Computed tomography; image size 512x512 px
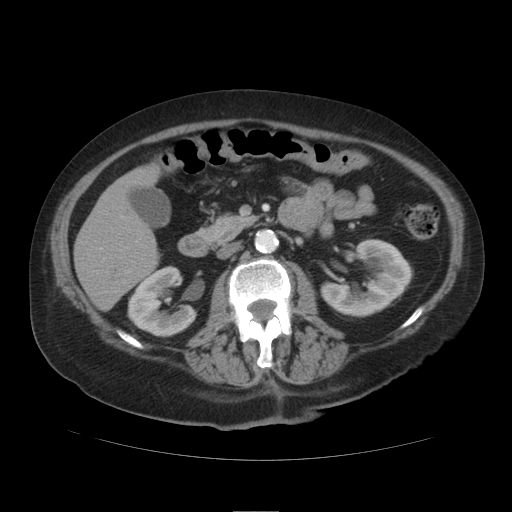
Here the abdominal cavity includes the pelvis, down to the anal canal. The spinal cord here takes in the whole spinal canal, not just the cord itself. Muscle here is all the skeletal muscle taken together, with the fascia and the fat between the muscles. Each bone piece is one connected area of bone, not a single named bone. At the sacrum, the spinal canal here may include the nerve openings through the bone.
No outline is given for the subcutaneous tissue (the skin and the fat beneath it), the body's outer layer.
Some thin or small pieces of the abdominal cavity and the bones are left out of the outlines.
bones 1: 259,258 275,259 281,263 287,270 292,287 289,299 291,334 282,333 272,340 273,364 271,367 263,368 257,364 259,342 251,338 244,342 239,339 239,330 230,319 234,308 228,300 228,278 232,270 241,263, around a hole outlined by 258,300 270,300 271,301 273,301 275,303 275,306 272,310 272,314 273,316 271,318 268,319 264,323 262,323 256,320 254,320 253,319 254,318 254,316 248,308 249,305 250,305 252,303
bones 2: 116,328 120,328 124,331 127,332 132,336 133,336 136,339 137,339 143,345 144,348 143,349 140,349 139,348 138,348 137,347 135,347 134,346 129,344 127,342 126,342 118,335 118,334 116,332
bones 3: 421,305 423,305 424,306 424,309 423,310 422,313 411,324 410,324 409,325 406,326 404,328 402,328 401,329 400,328 399,328 399,326 402,323 403,323 411,315 411,314 419,306 420,306
torso: 231,88 324,96 392,118 455,174 474,204 482,229 482,290 457,338 424,366 361,399 329,408 308,423 220,430 117,409 88,396 58,374 42,355 31,330 31,237 43,200 66,163 103,129 139,109 189,93
abdominal cavity: 242,122 369,146 429,185 449,226 447,267 435,292 394,329 370,341 352,342 319,316 314,286 297,263 259,257 217,277 204,325 181,347 142,340 102,316 76,282 70,262 70,220 80,197 107,166 136,147
spinal cord: 258,300 270,300 271,301 273,301 275,303 275,306 272,310 272,314 273,316 271,318 268,319 264,323 262,323 256,320 254,320 253,319 254,318 254,316 248,308 249,305 250,305 252,303
muscle: 242,117 256,117 287,122 296,125 347,134 383,144 423,164 439,176 452,190 463,207 465,218 462,266 457,272 456,279 450,291 428,314 428,317 423,325 415,333 387,347 366,352 354,358 337,373 317,382 302,385 292,384 284,382 272,372 267,372 261,379 261,382 253,386 221,388 215,385 206,384 179,368 171,367 165,363 159,363 131,355 125,351 120,350 105,343 99,337 95,330 96,327 89,320 88,316 76,308 61,291 60,288 55,285 54,269 50,251 50,239 49,238 50,227 60,201 84,174 117,150 161,130 185,123 191,123 204,120; inner edge: 242,122 369,146 431,187 449,226 447,267 411,324 348,341 290,260 291,334 272,340 271,367 258,366 259,342 242,342 230,319 228,269 181,347 135,334 135,347 96,310 70,262 80,197 136,147